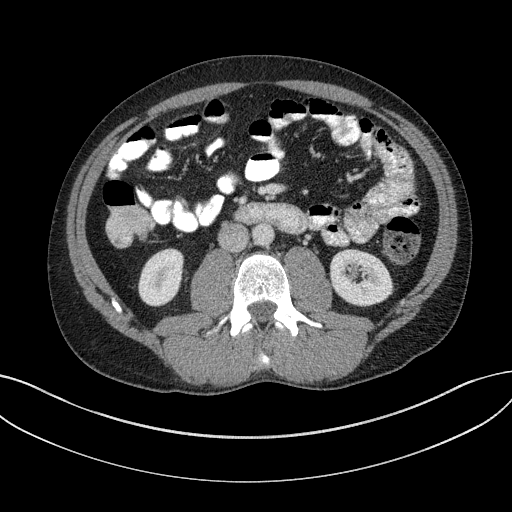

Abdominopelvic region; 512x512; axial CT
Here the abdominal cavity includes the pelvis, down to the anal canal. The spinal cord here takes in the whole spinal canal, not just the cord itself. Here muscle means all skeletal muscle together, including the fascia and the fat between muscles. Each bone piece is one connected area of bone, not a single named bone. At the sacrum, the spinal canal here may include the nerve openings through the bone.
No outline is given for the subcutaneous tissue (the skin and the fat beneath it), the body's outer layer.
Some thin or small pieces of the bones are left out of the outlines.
Outlines:
torso: 194 395; 260 382; 312 390; 348 387; 402 368; 435 347; 453 327; 471 268; 467 193; 438 134; 391 90; 347 68; 307 57; 217 57; 140 88; 110 110; 79 148; 59 189; 48 237; 47 280; 60 333; 83 363; 107 378; 159 393
spinal cord: 260 322; 267 321; 271 318; 271 316; 276 308; 276 305; 273 302; 271 302; 270 301; 262 301; 261 302; 255 302; 254 303; 252 303; 251 304; 250 304; 248 306; 248 310; 249 311; 249 312; 254 318; 255 318; 258 321; 259 321
bones: 232 336; 254 327; 263 329; 271 324; 279 329; 285 327; 295 336; 298 321; 319 328; 322 324; 310 319; 293 305; 287 274; 279 260; 268 254; 254 253; 244 258; 238 268; 232 286; 233 300; 230 310; 205 334; 218 331; 228 320 with a hole at 260 322; 267 321; 271 318; 271 316; 276 308; 276 305; 273 302; 271 302; 270 301; 262 301; 261 302; 255 302; 254 303; 252 303; 251 304; 250 304; 248 306; 248 310; 249 311; 249 312; 254 318; 255 318; 258 321; 259 321
muscle: 215 387; 225 387; 234 385; 247 380; 252 375; 253 376; 264 371; 272 372; 274 374; 287 380; 300 383; 312 383; 316 381; 321 381; 323 379; 326 379; 329 381; 342 377; 351 372; 358 366; 369 355; 378 342; 410 321; 419 312; 423 302; 439 286; 450 269; 456 249; 458 222; 457 221; 457 209; 456 208; 454 189; 451 183; 448 171; 446 169; 446 167; 440 156; 433 147; 428 138; 411 122; 397 113; 381 107; 375 102; 371 101; 368 98; 357 92; 330 83; 325 83; 313 80; 300 80; 299 79; 278 80; 277 81; 256 80; 248 82; 221 82; 190 89; 175 94; 162 101; 160 101; 147 110; 139 112; 114 128; 98 144; 87 158; 86 161; 80 169; 73 184; 67 206; 67 217; 66 218; 66 240; 68 246; 69 257; 73 266; 73 271; 75 277; 79 285; 82 288; 82 292; 85 298; 104 317; 105 320; 110 325; 126 336; 147 346; 162 361; 163 364; 166 367; 171 369; 172 372; 179 376; 182 380; 196 385; 210 384; inner edges: 232 336; 322 327; 292 303; 283 256; 294 245; 323 264; 332 309; 378 321; 404 304; 438 205; 425 165; 384 120; 258 84; 120 133; 86 216; 100 269; 152 327; 193 311; 193 272; 211 249; 227 251; 232 306; 205 334; 228 320, then 265 364; 268 364; 268 363; 269 362; 269 358; 268 357; 268 356; 267 355; 266 355; 262 351; 261 352; 260 352; 260 353; 258 355; 258 360; 260 362; 261 362; 262 363; 264 363, then 119 313; 121 313; 122 312; 122 309; 121 308; 121 307; 120 306; 120 305; 118 303; 118 302; 113 297; 112 297; 111 298; 111 303; 112 304; 112 305; 114 307; 114 308; 115 309; 115 310; 117 312; 118 312
abdominal cavity: 147 327; 164 315; 193 311; 189 282; 211 249; 227 251; 236 267; 254 252; 283 265; 294 245; 309 248; 323 264; 332 309; 378 321; 417 283; 433 247; 438 205; 425 165; 374 114; 266 84; 124 130; 92 193; 86 234; 110 285